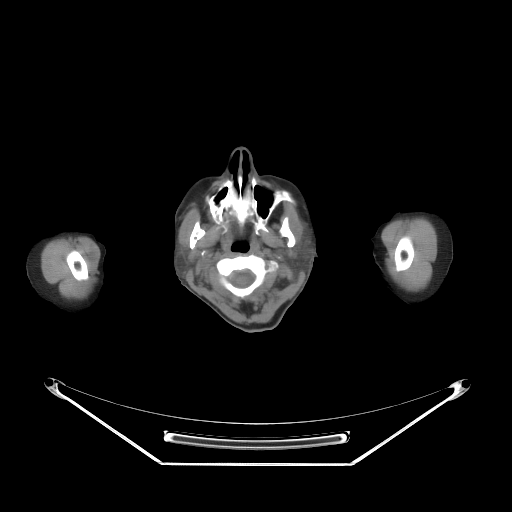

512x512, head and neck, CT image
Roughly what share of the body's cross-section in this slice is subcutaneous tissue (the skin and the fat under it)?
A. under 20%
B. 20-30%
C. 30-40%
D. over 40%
Answer: B. 20-30%
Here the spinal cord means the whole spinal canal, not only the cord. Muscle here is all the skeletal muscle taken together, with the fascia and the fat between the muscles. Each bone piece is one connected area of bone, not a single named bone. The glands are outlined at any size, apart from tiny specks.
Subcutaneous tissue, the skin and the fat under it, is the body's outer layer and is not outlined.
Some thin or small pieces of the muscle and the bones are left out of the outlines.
Outlines (x, y in pixels):
parotid glands 1: (304, 227) (308, 227) (310, 231) (310, 233) (311, 234) (311, 242) (312, 244) (311, 245) (311, 255) (310, 256) (310, 260) (309, 261) (308, 268) (306, 271) (301, 271) (296, 265) (296, 260) (295, 259) (294, 251) (295, 250) (295, 247) (301, 237) (301, 235) (302, 234)
parotid glands 2: (177, 242) (178, 243) (181, 243) (184, 246) (185, 246) (188, 250) (187, 252) (187, 257) (190, 263) (189, 264) (189, 267) (187, 269) (187, 270) (185, 272) (183, 276) (181, 272) (178, 269) (178, 264) (177, 263)
left arm: (412, 209) (423, 209) (435, 212) (442, 216) (447, 222) (453, 238) (453, 260) (447, 276) (437, 294) (430, 301) (420, 306) (409, 305) (401, 301) (384, 285) (380, 279) (378, 267) (374, 262) (372, 255) (371, 237) (376, 231) (377, 227) (382, 222) (387, 220) (393, 212)
right arm: (61, 229) (72, 229) (91, 232) (94, 234) (98, 240) (104, 244) (106, 249) (104, 259) (105, 281) (103, 286) (102, 295) (94, 307) (83, 313) (78, 314) (67, 313) (61, 311) (47, 301) (43, 300) (37, 295) (31, 287) (26, 275) (25, 259) (32, 244) (40, 237)
spinal cord: (244, 269) (248, 269) (249, 270) (250, 270) (254, 275) (254, 279) (253, 280) (253, 281) (247, 286) (245, 286) (244, 287) (238, 287) (237, 286) (234, 285) (229, 280) (229, 279) (228, 278) (231, 274) (231, 273) (233, 271) (234, 271) (235, 270) (243, 270)
bones 1: (238, 173) (242, 173) (244, 181) (253, 176) (256, 179) (259, 185) (254, 195) (264, 217) (275, 190) (287, 190) (294, 199) (294, 203) (282, 200) (275, 207) (265, 225) (267, 231) (255, 233) (254, 217) (241, 225) (235, 216) (224, 212) (226, 231) (212, 218) (206, 197); inner edge: (225, 188) (225, 189) (226, 190) (225, 191) (225, 193) (224, 194) (224, 195) (223, 196) (222, 196) (221, 197) (220, 197) (218, 199) (217, 199) (217, 197) (218, 196) (218, 194) (223, 189) (224, 189)
bones 2: (239, 254) (244, 255) (254, 254) (263, 258) (266, 261) (274, 260) (278, 264) (275, 270) (269, 271) (265, 274) (264, 279) (259, 286) (255, 288) (251, 293) (244, 297) (235, 295) (222, 285) (220, 282) (220, 275) (215, 266) (216, 263) (220, 259) (225, 257) (231, 258), around a hole outlined by (244, 269) (248, 269) (249, 270) (250, 270) (254, 275) (254, 279) (253, 280) (253, 281) (247, 286) (245, 286) (244, 287) (238, 287) (237, 286) (234, 285) (229, 280) (229, 279) (228, 278) (231, 274) (231, 273) (233, 271) (234, 271) (235, 270) (243, 270)
bones 3: (406, 235) (407, 236) (409, 236) (409, 237) (411, 239) (411, 241) (413, 245) (413, 248) (414, 249) (414, 256) (413, 257) (413, 259) (410, 266) (407, 269) (403, 270) (402, 271) (397, 271) (395, 269) (395, 262) (394, 261) (394, 252) (395, 251) (395, 248) (400, 238)
bones 4: (72, 250) (77, 250) (81, 254) (81, 255) (83, 257) (83, 258) (86, 262) (86, 264) (87, 265) (87, 269) (88, 270) (88, 278) (85, 280) (77, 280) (73, 276) (73, 275) (67, 264) (67, 262) (66, 261) (66, 256) (67, 255) (67, 254) (70, 251) (71, 251)
bones 5: (285, 216) (287, 216) (288, 217) (288, 224) (289, 225) (289, 228) (292, 232) (292, 233) (295, 238) (295, 244) (292, 247) (288, 247) (287, 246) (287, 238) (284, 236) (281, 236) (281, 235) (279, 232) (279, 229) (281, 226) (281, 224) (282, 223) (282, 220)
bones 6: (197, 220) (198, 220) (199, 221) (199, 224) (200, 225) (200, 227) (205, 231) (205, 233) (196, 242) (196, 243) (195, 244) (195, 247) (193, 249) (191, 249) (189, 247) (189, 237) (190, 236) (190, 234) (193, 229) (193, 227) (194, 226) (194, 224) (195, 223) (195, 222)
muscle 1: (253, 175) (286, 187) (299, 202) (307, 226) (303, 227) (293, 254) (295, 265) (305, 272) (305, 277) (299, 289) (270, 321) (245, 324) (227, 317) (186, 281) (184, 275) (191, 262) (188, 248) (178, 242) (178, 233) (181, 215) (190, 199) (224, 176) (231, 178) (205, 197) (217, 227) (228, 230) (225, 213) (235, 217) (241, 226) (254, 218) (251, 221) (254, 233) (267, 232) (266, 225) (276, 207) (282, 201) (294, 204) (295, 199) (284, 188) (269, 191); inner edges: (239, 254) (244, 255) (254, 254) (263, 258) (266, 261) (274, 260) (278, 264) (275, 270) (269, 271) (265, 274) (264, 279) (259, 286) (255, 288) (251, 293) (244, 297) (235, 295) (222, 285) (220, 282) (220, 275) (215, 266) (216, 263) (220, 259) (225, 257) (231, 258), then (285, 216) (287, 216) (288, 217) (288, 224) (289, 225) (289, 228) (292, 232) (292, 233) (295, 238) (295, 244) (292, 247) (288, 247) (287, 246) (287, 238) (284, 236) (281, 236) (281, 235) (279, 232) (279, 229) (281, 226) (281, 224) (282, 223) (282, 220), then (197, 220) (198, 220) (199, 221) (199, 224) (200, 225) (200, 227) (205, 231) (205, 233) (196, 242) (196, 243) (195, 244) (195, 247) (193, 249) (191, 249) (189, 247) (189, 237) (190, 236) (190, 234) (193, 229) (193, 227) (194, 226) (194, 224) (195, 223) (195, 222), then (236, 243) (245, 243) (246, 244) (247, 244) (247, 245) (248, 246) (248, 248) (247, 249) (247, 250) (246, 250) (245, 251) (236, 251) (235, 250) (233, 250) (232, 249) (232, 246) (234, 244) (235, 244)
muscle 2: (407, 216) (409, 217) (411, 216) (425, 216) (429, 218) (436, 228) (438, 237) (438, 252) (436, 256) (432, 278) (428, 286) (425, 289) (418, 292) (406, 291) (395, 284) (388, 275) (384, 263) (384, 255) (381, 241) (381, 232) (383, 228) (394, 219) (398, 217) (406, 217), around a hole outlined by (406, 235) (407, 236) (409, 236) (409, 237) (411, 239) (411, 241) (413, 245) (413, 248) (414, 249) (414, 256) (413, 257) (413, 259) (410, 266) (407, 269) (403, 270) (402, 271) (397, 271) (395, 269) (395, 262) (394, 261) (394, 252) (395, 251) (395, 248) (400, 238)
muscle 3: (69, 235) (71, 236) (87, 236) (96, 243) (100, 250) (98, 281) (95, 285) (91, 294) (84, 300) (79, 300) (78, 301) (67, 300) (59, 296) (46, 282) (41, 273) (41, 269) (40, 268) (40, 253) (44, 245) (48, 241) (54, 238) (57, 238) (62, 236) (65, 237); inner edge: (72, 250) (77, 250) (81, 254) (81, 255) (83, 257) (83, 258) (86, 262) (86, 264) (87, 265) (87, 269) (88, 270) (88, 278) (85, 280) (77, 280) (73, 276) (73, 275) (67, 264) (67, 262) (66, 261) (66, 256) (67, 255) (67, 254) (70, 251) (71, 251)
head and neck: (240, 145) (250, 150) (259, 173) (289, 179) (301, 190) (314, 227) (316, 252) (324, 260) (316, 258) (313, 261) (303, 291) (287, 309) (278, 325) (260, 332) (245, 332) (224, 321) (181, 285) (173, 266) (174, 215) (180, 201) (195, 181) (207, 175) (220, 174) (231, 151), around holes outlined by (257, 186) (259, 186) (260, 187) (267, 190) (269, 192) (270, 192) (270, 193) (271, 194) (271, 203) (267, 208) (267, 212) (264, 216) (260, 213) (260, 212) (258, 209) (258, 206) (259, 205) (259, 203) (258, 202) (258, 200) (256, 198) (256, 196) (255, 195) (255, 188) and by (244, 152) (245, 153) (246, 153) (246, 154) (247, 155) (247, 157) (248, 158) (248, 163) (247, 164) (247, 165) (248, 166) (248, 171) (247, 172) (247, 175) (246, 176) (246, 179) (245, 180) (244, 180) (244, 178) (243, 177) (243, 154) (244, 153) and by (236, 152) (237, 152) (238, 153) (238, 163) (237, 164) (237, 169) (236, 170) (236, 177) (235, 178) (234, 178) (234, 175) (233, 174) (233, 173) (231, 170) (231, 165) (232, 164) (232, 162) (233, 161) (233, 157) (234, 156) (234, 155) and by (236, 243) (245, 243) (246, 244) (247, 244) (247, 245) (248, 246) (248, 248) (247, 249) (247, 250) (246, 250) (245, 251) (236, 251) (235, 250) (233, 250) (232, 249) (232, 246) (234, 244) (235, 244) and by (225, 188) (225, 189) (226, 190) (225, 191) (225, 193) (224, 194) (224, 195) (223, 196) (222, 196) (221, 197) (220, 197) (218, 199) (217, 199) (217, 197) (218, 196) (218, 194) (223, 189) (224, 189)